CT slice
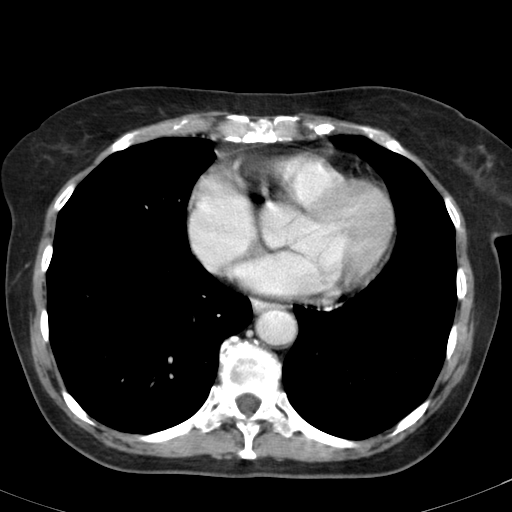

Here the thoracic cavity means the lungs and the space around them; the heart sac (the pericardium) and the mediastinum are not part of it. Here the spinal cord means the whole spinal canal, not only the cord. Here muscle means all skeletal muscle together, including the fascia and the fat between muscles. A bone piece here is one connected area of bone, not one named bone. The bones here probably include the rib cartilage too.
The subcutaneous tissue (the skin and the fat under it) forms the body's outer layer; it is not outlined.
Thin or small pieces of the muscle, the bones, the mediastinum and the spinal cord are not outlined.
{"thoracic_cavity":[[[197,135],[214,141],[215,158],[196,180],[187,202],[189,247],[217,280],[248,298],[252,317],[243,329],[221,343],[217,382],[192,415],[150,433],[120,431],[91,417],[66,389],[50,344],[46,273],[53,255],[58,213],[77,185],[110,154],[163,136]],[[339,133],[363,135],[417,165],[441,196],[455,230],[456,302],[438,375],[420,404],[392,427],[359,440],[308,422],[281,382],[283,360],[299,333],[294,305],[322,312],[338,307],[376,277],[395,244],[395,212],[383,179],[354,151],[333,144],[330,137]]],"pericardium":[[[272,143],[356,154],[377,173],[386,187],[394,212],[396,231],[389,258],[375,277],[361,291],[348,297],[340,304],[304,306],[302,304],[296,303],[292,305],[251,297],[222,283],[192,253],[186,220],[188,202],[197,180],[214,162],[223,156],[244,148]]],"muscle":[[[106,147],[105,153],[108,155],[77,184],[73,181],[70,182],[54,200],[52,210],[57,213],[57,216],[53,241],[44,246],[40,258],[39,271],[42,275],[45,274],[46,281],[46,307],[43,306],[40,309],[39,330],[43,342],[50,345],[65,386],[62,386],[59,390],[62,399],[69,410],[82,421],[95,426],[96,420],[114,430],[135,434],[134,439],[144,443],[163,443],[185,435],[193,428],[199,429],[204,434],[208,433],[220,427],[227,418],[233,418],[235,426],[243,437],[243,446],[236,452],[239,459],[219,459],[208,454],[189,457],[162,457],[133,454],[108,447],[73,422],[48,395],[38,378],[30,354],[29,315],[32,302],[32,273],[45,214],[61,187]],[[408,150],[431,169],[457,203],[465,221],[467,251],[474,278],[475,312],[473,345],[467,369],[459,383],[433,414],[403,440],[381,452],[368,457],[323,462],[277,460],[269,456],[255,459],[258,455],[253,448],[253,440],[260,430],[261,421],[270,423],[273,431],[285,438],[291,437],[298,431],[308,441],[312,440],[337,449],[353,449],[361,445],[360,440],[376,436],[393,427],[386,435],[388,438],[410,427],[426,412],[432,401],[428,396],[444,360],[450,360],[457,343],[458,324],[453,322],[455,308],[457,300],[462,301],[465,298],[468,285],[465,270],[457,265],[456,259],[455,233],[462,229],[460,215],[451,198],[447,194],[442,197],[422,169],[413,161],[417,159]],[[298,112],[307,112],[318,115],[325,115],[341,120],[354,122],[356,123],[352,126],[357,133],[345,133],[344,132],[332,133],[336,130],[337,126],[331,121],[329,120],[318,120],[317,119],[304,118],[301,115],[296,113],[295,114],[291,114],[294,114]],[[207,110],[226,110],[230,112],[233,112],[225,113],[223,115],[222,119],[207,118],[201,116],[192,118],[183,117],[178,120],[173,120],[157,125],[151,126],[145,126],[144,127],[141,128],[140,128],[139,128],[137,128],[128,131],[142,126],[152,124],[168,118],[180,116],[187,113],[192,113],[197,111],[206,111]]],"bones":[{"outer":[[234,335],[274,352],[282,363],[281,387],[303,419],[360,445],[337,448],[298,430],[285,437],[261,420],[252,440],[257,456],[244,459],[237,453],[244,437],[233,417],[204,433],[193,427],[163,442],[136,440],[183,422],[201,407],[218,382],[220,347]],"hole":[[246,393],[249,393],[250,394],[252,394],[254,396],[258,398],[260,401],[260,403],[258,407],[251,415],[246,415],[244,413],[243,413],[239,409],[237,405],[237,403],[236,402],[236,399],[239,396],[243,394],[245,394]]},[[229,113],[247,115],[252,119],[296,114],[308,120],[331,122],[336,128],[330,134],[305,136],[291,141],[244,143],[213,140],[208,137],[210,131],[208,130],[163,135],[109,154],[106,153],[108,147],[127,132],[183,118],[201,117],[222,120],[224,115]],[[356,124],[359,124],[360,125],[367,125],[368,126],[370,126],[386,132],[392,137],[395,138],[416,159],[416,160],[412,160],[406,157],[404,155],[402,155],[383,146],[381,144],[374,141],[365,135],[358,133],[356,129],[354,128],[353,126]],[[427,398],[430,398],[431,399],[431,401],[428,407],[426,409],[425,412],[413,424],[407,427],[405,429],[398,432],[393,436],[391,436],[390,437],[388,437],[387,436],[387,435],[392,431],[394,428],[394,426],[400,420],[409,414],[414,409],[420,405]],[[62,387],[64,387],[65,388],[65,389],[70,394],[70,395],[86,412],[86,413],[93,420],[95,421],[96,423],[95,425],[92,425],[82,420],[75,414],[74,414],[70,410],[70,409],[65,403],[63,399],[63,397],[61,394],[61,392],[60,390]],[[459,266],[462,267],[464,270],[464,273],[465,274],[465,276],[466,277],[466,284],[467,285],[467,288],[466,289],[466,292],[465,293],[465,295],[464,296],[464,298],[462,300],[458,300],[457,299],[457,289],[456,288],[456,274],[457,273],[457,268]],[[72,182],[75,183],[76,184],[76,186],[73,190],[71,195],[58,212],[57,212],[56,211],[54,211],[53,210],[53,205],[55,202],[55,200],[57,198],[57,197],[61,193],[61,192],[70,183],[71,183]],[[445,195],[447,195],[450,198],[451,202],[455,207],[459,215],[459,221],[460,222],[460,228],[461,229],[460,231],[456,231],[455,227],[452,222],[452,220],[447,211],[447,209],[446,208],[446,206],[445,205],[445,203],[443,199],[443,197]],[[453,323],[456,323],[457,324],[457,339],[456,340],[456,343],[455,344],[453,352],[451,354],[449,360],[446,360],[445,359],[445,355],[446,354],[446,347],[447,346],[447,341],[448,340],[449,333],[450,332],[450,330],[451,329],[451,327]]],"torso":[[[139,85],[287,93],[399,87],[455,107],[511,146],[511,235],[494,242],[501,270],[496,327],[467,406],[426,457],[402,471],[366,478],[143,474],[89,459],[50,427],[31,393],[7,321],[11,219],[0,188],[0,165],[20,138],[58,109],[98,92]]],"spinal_cord":[[[246,393],[249,393],[250,394],[252,394],[254,396],[258,398],[260,401],[260,403],[258,407],[251,415],[246,415],[244,413],[243,413],[239,409],[237,405],[237,403],[236,402],[236,399],[239,396],[243,394],[245,394]]],"mediastinum":[[[247,296],[267,302],[273,302],[274,303],[279,303],[280,304],[293,306],[292,309],[295,314],[298,323],[298,333],[295,341],[285,354],[282,362],[275,352],[264,343],[255,339],[242,339],[237,335],[251,322],[253,317],[251,302]],[[331,134],[334,134],[332,134],[329,137],[329,139],[334,146],[338,148],[348,149],[355,153],[343,151],[342,150],[317,148],[316,147],[308,147],[307,146],[299,146],[290,143],[276,142],[291,142],[303,138],[321,137],[322,136],[330,135]],[[217,140],[220,140],[223,142],[231,142],[232,143],[243,143],[244,144],[263,143],[263,144],[253,145],[252,146],[244,147],[238,149],[235,151],[223,155],[214,161],[216,158],[216,154],[213,149],[213,147],[214,146],[214,142]]]}